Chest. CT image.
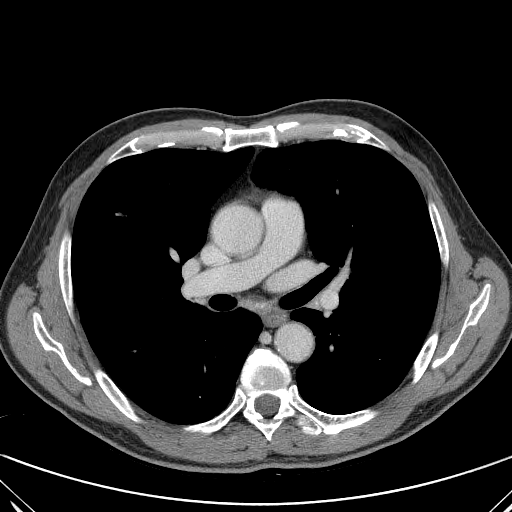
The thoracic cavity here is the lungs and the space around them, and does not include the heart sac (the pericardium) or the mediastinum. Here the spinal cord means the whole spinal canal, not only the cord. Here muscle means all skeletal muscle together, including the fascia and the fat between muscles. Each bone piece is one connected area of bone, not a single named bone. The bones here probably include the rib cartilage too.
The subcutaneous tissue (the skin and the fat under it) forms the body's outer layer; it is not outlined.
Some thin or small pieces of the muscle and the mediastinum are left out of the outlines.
The bones appear in 7 outlined pieces: piece 1: 255,348 267,348 285,362 299,395 311,406 330,414 348,414 369,407 379,413 335,434 321,432 317,435 304,433 295,418 289,417 273,432 270,441 240,415 207,435 184,431 183,425 207,421 230,403 244,362; inner edge: 265,394 268,394 269,395 271,395 272,396 276,397 278,399 278,401 279,402 279,404 278,405 278,408 276,412 270,416 266,416 265,415 263,415 260,412 257,411 255,408 255,401 256,399 260,396 264,395; piece 2: 293,120 301,123 339,122 359,125 383,141 390,149 388,152 373,145 338,138 304,138 294,139 276,147 248,145 230,151 203,145 155,147 106,164 112,153 141,134 195,130 203,126 216,126 221,129 255,128; piece 3: 487,282 491,285 489,299 487,306 477,323 469,325 464,330 453,353 445,361 434,368 431,367 430,363 420,378 412,384 410,370 428,335 435,330 439,331 431,360 442,356 457,337 470,304 479,295 484,284; piece 4: 65,230 68,230 71,234 70,271 71,272 71,283 72,284 72,291 74,300 74,308 73,309 74,319 75,320 74,323 72,322 67,312 63,300 60,287 60,282 59,281 59,270 58,269 59,247 62,235; piece 5: 35,311 38,312 40,314 42,321 49,333 62,345 65,354 71,364 75,367 82,375 86,376 90,379 91,381 91,385 87,385 79,381 69,371 57,353 52,350 45,350 43,348 33,329 32,313; piece 6: 96,367 100,367 108,375 108,376 113,381 118,388 131,402 135,409 136,413 144,421 144,422 142,423 138,423 133,421 127,417 121,411 120,411 110,400 110,399 103,391 95,378 95,376 93,372 93,369; piece 7: 429,198 430,198 436,205 445,231 445,235 446,236 447,244 448,245 448,254 449,255 448,264 446,268 441,264 441,261 440,260 437,241 436,240 434,229 432,225 432,222 430,218 429,210 427,205 427,200. The torso is outlined by 317,98 369,101 387,108 415,127 440,154 475,214 511,261 511,341 471,391 404,439 329,467 192,473 158,467 112,449 40,399 16,376 0,351 0,286 51,178 82,140 116,119 147,109 182,106 250,115. The muscle is outlined by 306,112 352,116 391,136 430,171 474,261 485,255 503,270 510,290 508,318 479,368 454,389 418,406 392,433 372,443 339,453 271,452 262,460 227,463 163,454 130,431 70,407 37,382 10,348 5,316 16,288 23,282 30,286 37,282 62,195 124,135 143,126 187,118 247,127 203,125 132,137 109,155 106,166 88,186 72,231 63,231 58,247 58,281 66,312 74,324 75,304 101,366 92,369 94,378 120,412 135,423 144,423 134,404 156,418 182,425 184,432 206,436 236,416 253,425 269,442 289,418 294,418 304,434 335,435 375,418 380,411 372,406 389,395 409,372 413,385 430,364 434,369 454,353 465,330 476,325 487,308 491,283 483,284 469,304 456,337 432,360 440,331 428,333 439,297 441,265 446,269 450,258 436,203 430,197 426,201 416,178 389,152 390,147 359,124 293,119 249,126 277,115; inner edge: 35,311 38,312 40,314 42,321 49,333 62,345 65,354 71,364 75,367 82,375 86,376 90,379 91,381 91,385 87,385 79,381 69,371 57,353 52,350 45,350 43,348 33,329 32,313. The thoracic cavity appears in 2 outlined pieces: piece 1: 178,146 203,146 220,152 253,148 243,171 212,204 204,243 195,259 197,276 218,304 230,311 244,309 261,322 229,403 211,418 190,424 168,422 145,411 102,368 80,321 71,271 76,215 96,177 122,158; piece 2: 304,139 373,146 403,164 425,199 440,261 435,311 409,371 385,397 348,413 330,413 311,405 294,381 297,369 316,349 316,336 290,314 304,286 318,273 317,261 299,202 252,179 255,161 266,147. The spinal cord is outlined by 265,394 268,394 269,395 271,395 272,396 276,397 278,399 278,401 279,402 279,404 278,405 278,408 276,412 270,416 266,416 265,415 263,415 260,412 257,411 255,408 255,401 256,399 260,396 264,395. The pericardium is outlined by 250,190 263,190 285,195 297,204 305,221 304,232 306,250 299,272 295,279 285,290 265,299 236,298 228,292 220,289 209,278 202,266 201,261 205,238 209,230 212,217 216,210 224,202 236,198 244,192. The mediastinum appears in 3 outlined pieces: piece 1: 305,228 317,273 303,286 289,316 311,329 315,349 296,369 293,379 289,366 271,349 252,349 262,329 260,317 218,303 198,276 196,254 203,246 201,266 220,290 236,299 265,300 285,291 300,272 307,250; piece 2: 253,146 265,147 257,155 252,166 251,170 252,181 258,187 269,190 275,190 281,193 263,189 250,189 244,191 243,193 236,197 224,201 215,210 212,215 208,230 211,215 211,208 213,204 244,171 254,153; piece 3: 286,195 287,195 288,196 292,196 298,202 298,203 301,207 301,209 302,210 302,212 303,213 303,214 300,210 300,209 298,206 298,204 297,203 296,203 296,202 295,201 294,201.